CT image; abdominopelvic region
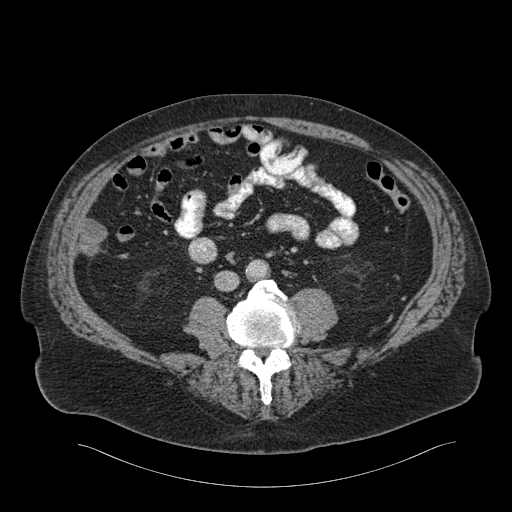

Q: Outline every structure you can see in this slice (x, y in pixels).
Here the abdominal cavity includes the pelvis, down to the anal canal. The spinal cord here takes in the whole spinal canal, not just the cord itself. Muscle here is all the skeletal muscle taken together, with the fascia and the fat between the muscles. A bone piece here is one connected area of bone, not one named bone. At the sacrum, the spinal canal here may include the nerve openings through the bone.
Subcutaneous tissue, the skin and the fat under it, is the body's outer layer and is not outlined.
A: Outlined structures:
spinal cord: 261 346; 262 347; 269 347; 270 348; 270 351; 269 352; 269 354; 267 356; 266 356; 265 357; 261 357; 260 356; 258 356; 256 354; 256 353; 255 352; 255 350; 254 349; 255 348; 257 348; 258 347; 260 347
bones: 267 279; 273 279; 288 297; 300 324; 300 331; 285 350; 289 356; 290 367; 274 373; 270 378; 272 388; 271 401; 268 405; 261 400; 258 377; 251 371; 237 366; 242 348; 229 337; 226 328; 226 316; 235 304; 246 297; 256 282; inner edge: 261 346; 262 347; 269 347; 270 348; 270 351; 269 352; 269 354; 267 356; 266 356; 265 357; 261 357; 260 356; 258 356; 256 354; 256 353; 255 352; 255 350; 254 349; 255 348; 257 348; 258 347; 260 347
abdominal cavity: 240 120; 367 152; 421 204; 432 238; 431 270; 380 342; 318 342; 339 319; 331 296; 304 287; 289 298; 267 278; 230 311; 208 295; 193 302; 182 329; 196 338; 201 354; 158 355; 81 295; 74 272; 78 232; 117 169; 163 137
torso: 222 93; 326 99; 398 131; 439 165; 473 218; 491 282; 491 302; 474 338; 482 375; 469 400; 382 435; 255 455; 166 443; 95 416; 61 412; 44 399; 34 375; 37 337; 22 317; 20 287; 55 187; 80 154; 117 125; 174 102
muscle: 245 115; 288 117; 329 125; 363 138; 374 148; 404 156; 416 163; 430 173; 447 194; 459 221; 465 252; 463 272; 465 285; 451 313; 437 327; 413 337; 385 358; 360 367; 342 393; 316 400; 289 417; 275 420; 246 419; 219 404; 213 405; 189 397; 169 371; 128 361; 109 348; 78 337; 61 320; 49 296; 47 283; 45 261; 50 230; 60 204; 72 185; 99 164; 145 138; 198 120 with a hole at 240 120; 379 158; 421 204; 432 238; 426 281; 378 343; 318 342; 339 319; 331 296; 304 287; 288 299; 300 331; 268 405; 237 366; 242 348; 217 299; 196 299; 182 324; 201 354; 158 355; 94 311; 74 272; 86 213; 131 156